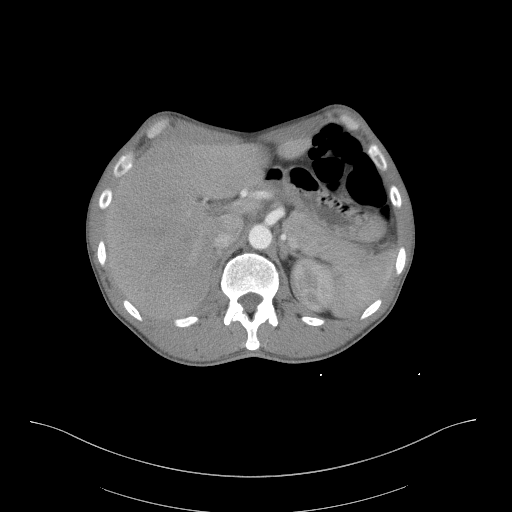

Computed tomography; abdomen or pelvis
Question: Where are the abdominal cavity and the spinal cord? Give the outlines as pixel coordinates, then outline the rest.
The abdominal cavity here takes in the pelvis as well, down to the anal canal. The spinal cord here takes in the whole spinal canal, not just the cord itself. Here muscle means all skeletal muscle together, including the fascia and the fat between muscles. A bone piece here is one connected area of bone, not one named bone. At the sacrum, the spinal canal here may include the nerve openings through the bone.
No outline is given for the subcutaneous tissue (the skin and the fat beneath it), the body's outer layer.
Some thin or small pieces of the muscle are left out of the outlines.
Answer: The abdominal cavity is outlined by 327,119 343,122 363,140 384,178 396,217 395,271 361,313 344,319 307,315 292,299 283,270 253,251 225,263 209,300 192,314 156,319 124,297 106,265 104,218 119,178 132,167 137,153 160,139 276,141. The spinal cord is outlined by 249,292 252,292 253,293 255,293 256,294 258,294 261,297 261,300 257,304 257,305 255,308 255,310 253,312 246,312 245,311 244,311 244,308 243,307 243,306 239,302 239,298 241,296 242,296. The muscle is outlined by 334,108 349,110 360,118 384,150 407,199 410,254 386,309 349,340 323,353 290,357 257,350 259,326 266,321 273,327 278,324 273,300 280,286 280,270 291,299 307,314 300,320 321,326 324,318 344,320 360,314 363,320 373,314 394,272 400,275 406,265 406,250 398,247 394,209 402,206 401,194 394,184 388,187 386,183 381,171 388,168 385,156 375,143 366,146 354,131 359,124 349,115 341,114 342,121 327,118 305,131 270,141 220,143 160,138 135,155 131,150 122,154 114,164 112,174 117,182 113,190 105,188 97,200 98,207 106,209 97,260 101,266 105,264 111,281 125,298 123,307 132,317 142,321 142,314 172,320 179,328 199,320 193,314 210,300 218,275 220,289 228,299 222,321 226,326 237,321 246,331 246,350 216,359 190,360 161,349 114,307 93,259 91,206 113,161 148,121 160,115 255,136; inner edge: 162,120 165,120 166,121 166,124 164,126 164,127 163,127 160,130 160,131 156,135 155,135 153,137 152,137 151,138 149,138 147,136 147,131 150,128 150,127 151,127 155,123 156,123 158,121 161,121. The bones appear in 13 outlined pieces: piece 1: 245,252 257,253 270,260 275,265 279,276 279,286 272,300 277,324 273,326 266,320 258,326 256,336 259,347 255,350 246,348 247,331 239,321 232,321 228,325 223,321 229,299 220,286 222,272 231,258 with a hole at 249,292 252,292 253,293 255,293 256,294 258,294 261,297 261,300 257,304 257,305 255,308 255,310 253,312 246,312 245,311 244,311 244,308 243,307 243,306 239,302 239,298 241,296 242,296; piece 2: 131,151 133,152 134,154 134,158 133,159 133,161 132,162 132,165 131,167 125,173 124,173 122,175 118,177 116,177 114,176 113,174 113,168 115,164 119,159 119,158 122,155 128,152 130,152; piece 3: 372,143 373,144 375,144 378,147 378,148 380,150 386,160 386,162 387,163 387,168 384,170 382,170 378,168 376,164 374,163 372,158 370,157 370,156 368,154 368,152 367,151 368,149 368,146; piece 4: 401,246 402,246 404,248 404,249 405,250 405,265 404,266 404,267 403,268 401,273 398,275 396,273 396,271 395,270 395,264 396,263 396,258 397,257 397,254 398,253 398,249 399,248 399,247 400,247; piece 5: 107,188 109,188 112,190 112,197 111,198 111,201 110,202 110,203 107,206 107,207 106,207 104,209 101,209 99,207 99,206 98,205 98,200 99,199 99,197 100,196 101,193 105,189 106,189; piece 6: 190,315 194,315 198,317 198,320 195,323 193,324 191,324 188,326 185,326 184,327 179,327 178,326 176,326 173,323 173,320 174,319 176,319 177,318 181,318 182,317 185,317 186,316 189,316; piece 7: 392,185 394,185 397,188 397,189 400,194 400,196 401,197 401,200 402,201 402,203 401,204 401,206 400,207 395,207 392,204 392,202 389,197 389,194 388,193 389,192 389,188 390,187 390,186 391,186; piece 8: 378,298 381,299 381,303 380,304 379,307 373,313 372,313 367,317 366,317 363,319 361,319 360,318 360,316 361,315 362,312 370,304 371,304 376,299 377,299; piece 9: 124,299 126,299 127,300 128,300 138,310 138,311 140,313 140,314 141,315 141,316 142,317 142,320 138,320 136,318 135,318 133,316 132,316 127,311 127,310 124,307 124,306 123,305 123,300; piece 10: 162,120 165,120 166,121 166,124 164,126 164,127 163,127 160,130 160,131 156,135 155,135 153,137 152,137 151,138 149,138 147,136 147,131 150,128 150,127 151,127 155,123 156,123 158,121 161,121; piece 11: 100,240 103,240 103,241 104,242 104,244 105,245 105,251 106,252 106,257 105,258 105,263 103,266 100,264 100,263 98,260 98,258 97,257 97,248 98,247 98,244 99,243 99,242 100,241; piece 12: 302,316 312,316 313,317 319,317 320,318 323,318 324,319 324,320 325,321 324,322 324,323 323,324 322,324 321,325 309,325 308,324 306,324 304,322 303,322 301,320 301,317; piece 13: 343,114 345,114 346,115 349,116 358,124 358,127 357,128 357,129 355,129 354,130 352,130 351,129 348,128 346,126 346,125 344,123 344,122 341,119 341,118 340,117 341,116 341,115 342,115. The torso is outlined by 334,102 355,108 365,118 391,154 411,199 415,221 414,255 390,313 349,348 307,363 290,364 248,357 212,366 189,366 154,352 110,311 86,250 88,201 112,155 146,117 159,110 175,110 213,124 254,130.